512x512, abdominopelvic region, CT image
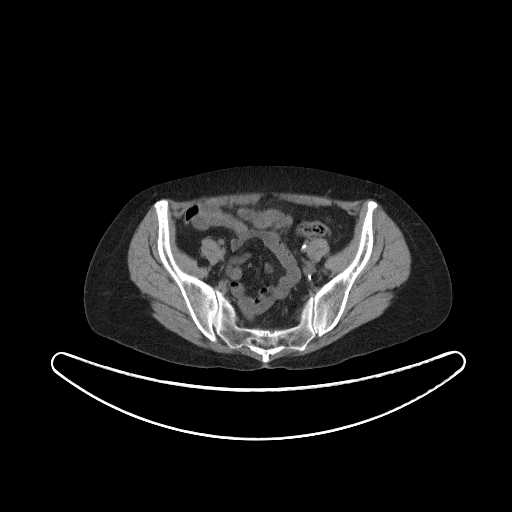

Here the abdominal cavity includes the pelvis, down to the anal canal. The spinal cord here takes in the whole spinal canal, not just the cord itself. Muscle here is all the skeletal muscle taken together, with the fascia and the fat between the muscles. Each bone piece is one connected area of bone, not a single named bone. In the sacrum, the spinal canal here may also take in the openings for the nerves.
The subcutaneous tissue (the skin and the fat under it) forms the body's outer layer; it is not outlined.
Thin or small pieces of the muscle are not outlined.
The muscle appears in 3 outlined pieces: piece 1: (377, 202) (402, 232) (410, 252) (410, 274) (403, 286) (395, 293) (390, 305) (378, 317) (317, 350) (303, 355) (283, 356) (270, 361) (271, 355) (285, 349) (303, 351) (316, 336) (321, 337) (337, 325) (346, 307) (352, 286) (372, 254) (374, 245) (373, 214) (378, 206); piece 2: (153, 203) (157, 221) (156, 250) (159, 260) (177, 285) (196, 327) (211, 342) (215, 343) (219, 338) (230, 349) (246, 347) (258, 354) (261, 361) (239, 353) (221, 353) (200, 347) (166, 328) (151, 315) (148, 300) (141, 297) (141, 292) (129, 278) (127, 252) (135, 230); piece 3: (271, 191) (326, 196) (348, 201) (366, 198) (373, 199) (369, 199) (366, 202) (366, 211) (354, 256) (341, 271) (330, 278) (323, 270) (326, 258) (322, 257) (315, 261) (310, 256) (310, 244) (313, 240) (323, 237) (326, 239) (329, 253) (334, 254) (338, 252) (344, 248) (352, 238) (357, 216) (355, 214) (350, 214) (336, 204) (318, 206) (308, 205) (281, 199) (271, 194) (264, 195) (255, 202) (221, 204) (213, 201) (200, 201) (187, 206) (180, 216) (175, 218) (177, 245) (180, 249) (194, 258) (200, 266) (208, 266) (209, 262) (202, 257) (200, 248) (204, 238) (211, 238) (219, 246) (219, 259) (210, 266) (207, 276) (203, 280) (184, 271) (179, 266) (172, 252) (170, 243) (169, 203) (166, 198) (185, 201) (202, 196). The abdominal cavity is outlined by (267, 195) (356, 216) (338, 251) (330, 253) (323, 236) (310, 242) (309, 256) (325, 258) (329, 279) (305, 301) (296, 324) (274, 329) (239, 325) (231, 302) (204, 280) (220, 259) (215, 240) (201, 240) (208, 265) (200, 265) (176, 233) (176, 218) (193, 204) (248, 204). The bones are outlined by (162, 198) (168, 203) (169, 243) (176, 263) (220, 291) (239, 326) (274, 330) (296, 325) (306, 301) (354, 258) (369, 200) (377, 203) (371, 254) (336, 325) (303, 350) (285, 348) (263, 362) (246, 346) (230, 348) (219, 337) (211, 341) (195, 324) (158, 254) (153, 205). The torso is outlined by (247, 164) (321, 168) (367, 179) (397, 193) (429, 227) (445, 258) (453, 294) (447, 318) (435, 329) (404, 342) (335, 365) (301, 370) (262, 368) (242, 371) (187, 366) (142, 353) (94, 332) (87, 323) (83, 307) (85, 275) (100, 238) (121, 208) (134, 195) (152, 185). The spinal cord appears in 3 outlined pieces: piece 1: (262, 344) (266, 344) (267, 345) (272, 345) (273, 346) (272, 347) (269, 347) (268, 348) (264, 348) (263, 347) (262, 347) (261, 346) (260, 346) (259, 345) (261, 345); piece 2: (253, 340) (254, 340) (255, 341) (255, 342) (254, 343) (253, 343) (252, 342) (252, 341); piece 3: (282, 340) (283, 340) (284, 341) (284, 342) (283, 343) (282, 343) (281, 342) (281, 341).